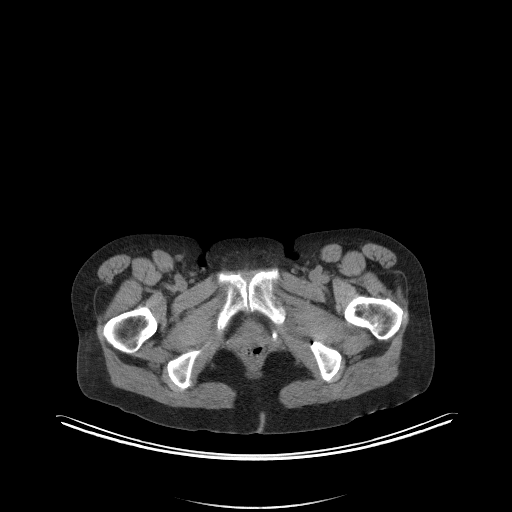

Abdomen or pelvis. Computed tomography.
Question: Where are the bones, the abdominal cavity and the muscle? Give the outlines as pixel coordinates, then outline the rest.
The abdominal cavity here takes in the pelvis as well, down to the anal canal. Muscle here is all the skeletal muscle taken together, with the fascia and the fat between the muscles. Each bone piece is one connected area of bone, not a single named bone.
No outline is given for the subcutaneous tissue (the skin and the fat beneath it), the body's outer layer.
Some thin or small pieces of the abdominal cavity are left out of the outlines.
Answer: The bones appear in 5 outlined pieces: piece 1: 273,268 279,272 279,278 273,283 273,301 276,306 282,306 285,310 283,323 276,325 256,310 239,311 221,332 217,331 217,317 225,302 227,287 225,283 220,284 218,282 217,273 239,273 248,282 257,272; piece 2: 358,295 371,296 372,297 378,297 379,298 389,298 401,307 403,311 402,319 401,320 401,324 398,330 394,335 386,340 379,340 377,339 367,328 365,327 356,326 346,321 344,317 344,309 348,303 354,297; piece 3: 138,306 146,306 150,310 157,321 157,329 155,333 152,336 148,338 136,351 133,353 125,353 113,347 113,346 106,340 105,337 102,333 102,331 103,330 103,326 110,318 114,316 116,316 125,311 133,309; piece 4: 198,349 201,349 202,350 200,354 197,356 194,361 194,364 192,368 192,374 191,375 191,381 192,384 190,386 181,390 174,384 170,379 167,371 167,363 169,360 177,357 180,354 182,354 189,350 197,350; piece 5: 314,340 320,341 327,346 334,348 341,354 342,358 341,359 340,367 337,373 332,378 332,380 329,382 325,381 323,379 322,379 322,378 320,376 320,373 318,369 318,366 317,365 315,357 309,347 309,346. The abdominal cavity is outlined by 256,311 265,316 270,321 269,322 269,327 276,334 278,337 278,340 265,352 259,367 256,370 253,370 242,353 231,343 226,341 225,339 225,334 227,330 227,327 230,323 230,321 236,314 239,312 255,312. The muscle is outlined by 347,240 389,248 407,278 409,319 391,382 287,408 278,394 310,377 305,366 289,351 273,351 262,376 251,379 226,348 199,379 235,390 231,408 169,406 110,382 93,305 97,270 109,257 166,248 192,287 220,270 275,267 248,281 216,273 226,285 216,331 226,328 225,341 256,371 279,340 270,322 286,319 274,301 277,268 302,275 322,246, around holes outlined by 358,295 371,296 372,297 378,297 379,298 389,298 401,307 403,311 402,319 401,320 401,324 398,330 394,335 386,340 379,340 377,339 367,328 365,327 356,326 346,321 344,317 344,309 348,303 354,297 and by 138,306 146,306 150,310 157,321 157,329 155,333 152,336 148,338 136,351 133,353 125,353 113,347 113,346 106,340 105,337 102,333 102,331 103,330 103,326 110,318 114,316 116,316 125,311 133,309 and by 198,349 201,349 202,350 200,354 197,356 194,361 194,364 192,368 192,374 191,375 191,381 192,384 190,386 181,390 174,384 170,379 167,371 167,363 169,360 177,357 180,354 182,354 189,350 197,350 and by 314,340 320,341 327,346 334,348 341,354 342,358 341,359 340,367 337,373 332,378 332,380 329,382 325,381 323,379 322,379 322,378 320,376 320,373 318,369 318,366 317,365 315,357 309,347 309,346. The torso is outlined by 349,227 373,229 393,237 423,268 435,366 422,393 335,427 242,435 162,426 90,399 80,390 71,286 81,265 104,244 129,234 163,233 192,237 204,250 225,238 267,236 279,240 285,253 294,258 296,237.